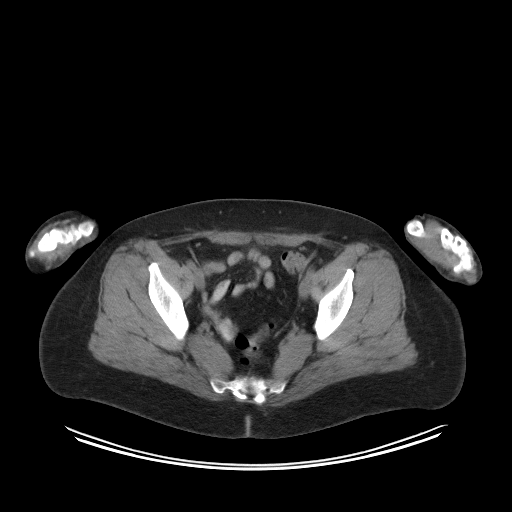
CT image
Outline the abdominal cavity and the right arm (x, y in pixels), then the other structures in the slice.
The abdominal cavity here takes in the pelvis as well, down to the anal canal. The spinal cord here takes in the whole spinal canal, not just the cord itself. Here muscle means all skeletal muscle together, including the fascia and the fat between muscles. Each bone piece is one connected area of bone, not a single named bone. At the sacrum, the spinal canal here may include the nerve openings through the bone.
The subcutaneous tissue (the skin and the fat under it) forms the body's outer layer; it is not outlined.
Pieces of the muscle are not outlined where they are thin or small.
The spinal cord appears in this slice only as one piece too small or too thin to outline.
The abdominal cavity is outlined by 196,238 222,246 252,241 261,246 297,246 309,241 337,253 314,271 309,280 309,292 317,304 314,331 301,332 289,340 278,351 265,378 235,373 230,355 213,337 189,329 184,302 192,293 194,275 164,247. The right arm is outlined by 73,208 79,208 84,211 90,212 99,223 100,226 100,232 99,234 97,237 91,242 76,250 66,261 58,267 41,275 35,275 33,274 26,266 25,260 24,259 25,248 28,240 36,229 47,218 54,214. The torso is outlined by 242,197 294,199 326,205 363,216 385,229 459,310 466,369 455,399 437,409 392,410 291,437 232,439 177,429 103,403 66,398 53,392 44,381 39,365 41,324 56,292 96,247 120,225 139,216 200,200. The muscle appears in 4 outlined pieces: piece 1: 207,229 318,233 387,249 403,283 416,362 281,406 258,405 286,387 284,379 266,378 289,341 313,332 323,341 342,323 355,272 347,267 316,303 310,280 336,257 334,249 309,240 222,245 206,237 163,247 193,275 184,301 154,260 147,294 177,340 199,332 227,352 237,375 211,377 212,390 254,403 209,400 100,362 87,344 113,251 131,238; piece 2: 427,219 433,219 442,225 439,228 440,244 458,258 458,262 452,267 455,274 463,271 470,272 473,269 474,259 478,278 473,284 469,284 452,275 428,256 410,238 410,235 417,238 424,238 426,236 422,222; piece 3: 82,238 86,238 80,242 79,246 74,251 73,251 66,257 59,260 51,267 46,267 43,265 41,262 32,258 33,258 37,253 49,253 55,250 59,244 63,244 64,245 70,244 72,246 74,246 76,243; piece 4: 71,215 82,215 86,217 85,219 80,221 76,224 73,222 71,222 65,227 53,227 51,228 49,230 46,231 38,239 35,245 35,247 30,249 30,247 34,240 40,231 44,227 54,221 59,220 62,218. The bones appear in 6 outlined pieces: piece 1: 153,261 157,262 161,273 169,283 171,284 178,292 183,301 183,306 189,322 189,327 184,338 182,340 179,340 176,338 165,324 150,300 148,294 148,290 147,289 148,281 149,280 149,272 147,267 148,265; piece 2: 347,268 351,268 354,272 354,277 352,282 353,299 352,300 351,305 345,317 337,328 323,340 320,340 317,338 313,327 313,325 317,315 318,303 322,296 326,292 329,291 332,288 333,288 340,281 344,275; piece 3: 238,375 284,380 286,381 286,384 284,389 280,393 267,393 265,401 261,404 257,404 251,397 248,397 245,400 239,399 229,389 226,389 223,393 217,393 213,390 210,384 211,378 219,378 228,381; piece 4: 86,219 91,219 95,222 95,227 89,236 82,237 74,245 72,245 70,243 67,244 59,243 55,249 49,252 37,252 33,257 29,256 29,251 36,247 39,239 46,232 53,228 65,228 71,223 76,225; piece 5: 442,226 446,227 454,235 459,235 465,240 470,249 470,252 473,256 472,269 470,271 463,270 459,273 455,273 453,270 453,267 459,262 459,258 458,256 452,251 449,249 446,249 442,246 440,239 440,228; piece 6: 414,219 417,219 418,220 419,220 422,223 422,225 423,226 423,228 424,229 424,231 425,232 425,236 424,237 417,237 416,236 411,235 408,233 408,232 406,229 406,226 407,225 407,224 410,221 411,221. The left arm is outlined by 423,212 431,213 445,219 455,226 470,242 476,251 482,265 482,276 480,280 477,283 471,286 466,286 445,279 442,277 438,273 435,268 406,240 404,235 404,231 403,230 404,224 415,214 421,214.